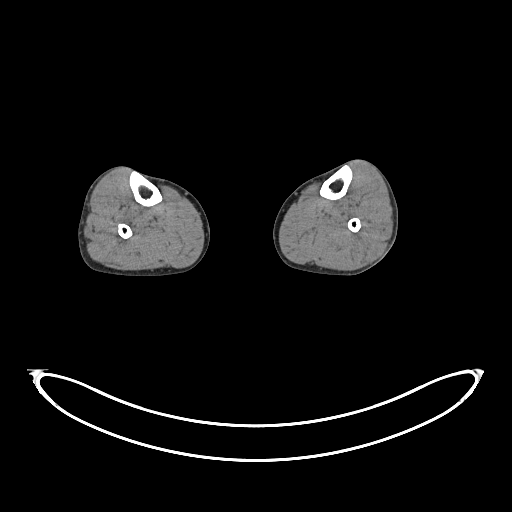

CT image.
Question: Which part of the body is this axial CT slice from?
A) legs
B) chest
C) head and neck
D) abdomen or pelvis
Answer: A) legs
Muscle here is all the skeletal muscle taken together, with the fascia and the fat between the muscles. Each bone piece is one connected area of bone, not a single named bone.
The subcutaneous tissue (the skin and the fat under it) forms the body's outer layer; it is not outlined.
The right leg is outlined by [[117,165],[130,166],[140,172],[171,180],[188,190],[200,202],[208,219],[210,228],[210,240],[205,255],[195,267],[189,271],[183,273],[170,275],[124,276],[95,271],[86,265],[80,255],[77,239],[77,227],[84,198],[86,192],[93,180],[106,169]]. The bones appear in 4 outlined pieces: piece 1: [[131,170],[137,170],[139,172],[140,172],[146,178],[147,178],[150,181],[151,181],[156,185],[162,196],[162,199],[160,202],[154,205],[152,205],[151,206],[144,206],[140,204],[135,200],[134,196],[133,195],[133,193],[129,185],[129,175],[130,174]]; piece 2: [[343,164],[348,164],[350,166],[352,170],[352,179],[348,186],[348,188],[347,189],[346,193],[342,197],[336,200],[330,200],[327,198],[325,198],[321,196],[319,193],[319,191],[320,190],[320,188],[323,181],[330,175],[331,175],[336,170],[337,170]]; piece 3: [[119,223],[125,223],[127,225],[128,225],[129,226],[129,227],[130,228],[130,229],[131,230],[131,231],[132,232],[132,233],[131,234],[131,235],[129,237],[128,237],[127,238],[123,238],[118,233],[118,227],[117,226],[117,225]]; piece 4: [[353,217],[357,217],[360,220],[360,224],[361,225],[360,226],[360,228],[357,231],[356,231],[355,232],[354,232],[353,231],[352,231],[348,227],[348,221],[351,218],[352,218]]. The muscle appears in 2 outlined pieces: piece 1: [[120,168],[130,170],[128,185],[134,200],[144,207],[151,207],[162,201],[163,196],[157,184],[172,187],[193,204],[200,214],[204,234],[202,250],[193,263],[182,268],[121,270],[105,266],[91,258],[84,236],[90,197],[97,183],[106,174]] with a hole at [[119,223],[125,223],[127,225],[128,225],[129,226],[129,227],[130,228],[130,229],[131,230],[131,231],[132,232],[132,233],[131,234],[131,235],[129,237],[128,237],[127,238],[123,238],[118,233],[118,227],[117,226],[117,225]]; piece 2: [[351,163],[365,163],[372,167],[387,188],[393,223],[384,250],[370,263],[352,270],[298,264],[289,260],[279,243],[279,228],[287,210],[304,189],[318,181],[322,181],[318,191],[321,197],[330,201],[342,198],[353,179],[353,170],[349,164]]; inner edge: [[353,217],[357,217],[360,220],[360,224],[361,225],[360,226],[360,228],[357,231],[356,231],[355,232],[354,232],[353,231],[352,231],[348,227],[348,221],[351,218],[352,218]]. The left leg is outlined by [[354,158],[365,159],[377,166],[385,175],[393,190],[398,206],[398,230],[396,239],[392,247],[377,264],[355,275],[348,276],[327,275],[302,271],[289,267],[280,259],[277,254],[272,238],[272,229],[274,220],[282,203],[289,194],[304,181],[346,160]].